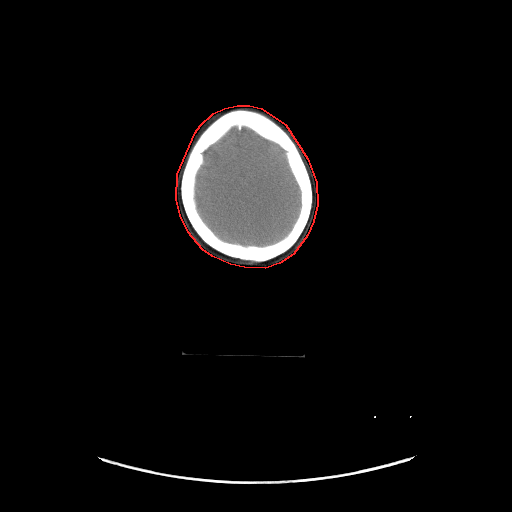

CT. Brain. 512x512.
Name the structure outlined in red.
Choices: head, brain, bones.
red: head.
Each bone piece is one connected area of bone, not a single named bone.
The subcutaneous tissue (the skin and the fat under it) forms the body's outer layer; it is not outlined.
The head is outlined by (237, 105) (249, 105) (261, 108) (285, 124) (307, 158) (316, 182) (317, 204) (313, 221) (307, 235) (293, 254) (279, 263) (265, 268) (244, 267) (230, 264) (212, 256) (202, 249) (188, 232) (180, 215) (176, 199) (177, 174) (195, 132) (200, 125) (213, 113) (224, 108). The brain is outlined by (233, 127) (238, 130) (244, 127) (248, 128) (262, 138) (277, 144) (285, 152) (287, 164) (298, 186) (300, 205) (297, 217) (289, 231) (273, 243) (265, 245) (244, 245) (226, 241) (220, 238) (206, 224) (198, 211) (195, 199) (195, 186) (198, 171) (204, 163) (204, 152). The bones are outlined by (238, 108) (260, 112) (272, 119) (287, 132) (299, 150) (309, 174) (312, 188) (312, 205) (310, 214) (295, 243) (283, 253) (271, 259) (259, 262) (231, 257) (208, 245) (192, 227) (185, 213) (181, 199) (180, 185) (182, 173) (192, 146) (200, 134) (216, 118) (230, 110), around a hole outlined by (233, 127) (238, 130) (244, 127) (248, 128) (262, 138) (277, 144) (285, 152) (287, 164) (298, 186) (300, 205) (297, 217) (289, 231) (273, 243) (265, 245) (244, 245) (226, 241) (220, 238) (206, 224) (198, 211) (195, 199) (195, 186) (198, 171) (204, 163) (204, 152).